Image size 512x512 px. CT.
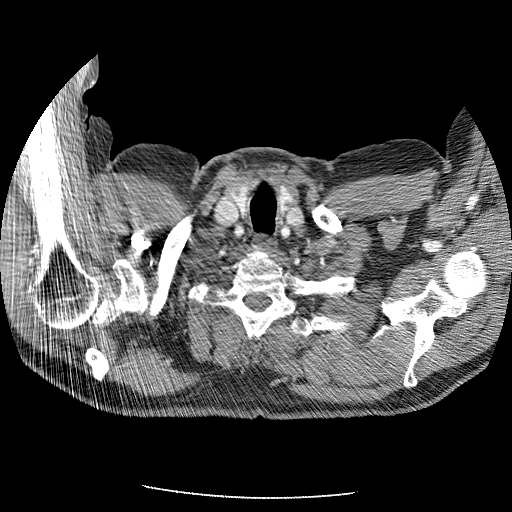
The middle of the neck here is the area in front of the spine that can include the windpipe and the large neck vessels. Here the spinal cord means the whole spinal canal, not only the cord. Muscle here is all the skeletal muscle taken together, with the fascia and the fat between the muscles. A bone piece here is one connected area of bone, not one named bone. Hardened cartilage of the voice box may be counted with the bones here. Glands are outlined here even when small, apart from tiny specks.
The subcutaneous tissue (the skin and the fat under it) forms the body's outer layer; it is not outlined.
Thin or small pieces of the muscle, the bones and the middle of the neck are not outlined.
{"muscle":[{"outer":[[82,67],[79,107],[88,172],[156,173],[187,211],[222,166],[243,160],[299,164],[326,185],[432,166],[440,172],[438,198],[461,175],[478,126],[510,216],[511,281],[498,336],[483,353],[418,383],[414,366],[434,342],[436,321],[462,315],[488,284],[480,255],[460,250],[419,293],[380,302],[389,323],[414,328],[402,377],[404,388],[415,387],[409,398],[316,402],[254,376],[215,376],[183,393],[139,397],[115,385],[93,385],[74,367],[41,357],[16,331],[0,282],[3,213],[23,148],[38,240],[29,300],[57,331],[87,323],[92,333],[126,313],[156,318],[196,215],[186,214],[167,233],[153,292],[130,259],[115,257],[119,292],[101,295],[67,231],[54,105]],"holes":[[[261,180],[284,185],[309,225],[272,259],[305,280],[354,272],[356,289],[341,296],[292,296],[302,316],[351,323],[345,332],[305,337],[285,317],[249,339],[232,310],[187,297],[200,282],[209,299],[229,290],[250,249],[216,230],[214,209],[226,188]],[[319,203],[322,203],[324,204],[324,205],[328,208],[330,208],[338,217],[338,218],[341,222],[341,225],[342,226],[342,230],[341,231],[339,231],[335,234],[331,234],[329,232],[320,228],[314,222],[311,216],[311,214],[310,213],[310,209],[313,206]],[[91,346],[95,346],[98,349],[100,350],[103,350],[105,355],[109,360],[109,369],[104,376],[103,379],[101,381],[98,381],[95,378],[94,378],[93,375],[90,371],[91,370],[91,367],[85,360],[85,353],[86,352],[86,350],[89,347]]]}],"thyroid_glands":[[[238,184],[246,184],[247,185],[245,187],[245,189],[247,193],[247,196],[246,197],[246,215],[244,217],[242,216],[240,212],[240,209],[239,207],[237,206],[236,204],[236,201],[230,189],[228,188],[230,187],[232,187],[233,186],[235,186]],[[279,184],[281,185],[284,185],[287,190],[293,195],[293,198],[295,200],[294,202],[295,203],[293,204],[291,207],[288,206],[285,209],[285,211],[284,212],[284,217],[283,216],[281,217],[279,213],[280,211],[280,195],[279,194],[278,188],[277,187]]],"right_arm":[[[96,56],[98,78],[84,92],[83,99],[90,114],[101,116],[108,122],[113,141],[110,161],[93,191],[93,212],[102,237],[102,278],[95,319],[74,349],[30,369],[23,362],[13,337],[0,282],[0,238],[4,208],[17,162],[38,119],[58,92]]],"bones":[[[53,99],[66,231],[101,296],[120,292],[121,282],[112,268],[115,258],[130,260],[153,293],[168,233],[195,211],[166,301],[156,317],[147,311],[126,312],[108,325],[93,326],[92,332],[87,322],[64,331],[42,320],[30,300],[39,240],[24,146]],{"outer":[[254,249],[274,255],[305,280],[354,272],[356,289],[341,296],[292,296],[302,316],[327,315],[352,326],[343,333],[314,330],[305,337],[288,329],[285,317],[249,339],[232,310],[188,298],[188,290],[200,282],[210,285],[209,299],[226,294],[238,261]],"hole":[[253,293],[255,294],[260,294],[261,293],[265,296],[268,297],[271,300],[271,302],[270,304],[261,311],[256,311],[255,310],[253,310],[251,309],[245,304],[244,302],[244,298],[247,295],[249,294],[252,294]]},[[460,251],[474,252],[483,261],[488,272],[485,290],[468,302],[462,314],[435,321],[433,342],[413,366],[417,384],[406,388],[403,377],[415,328],[409,322],[389,322],[381,302],[389,301],[387,297],[396,300],[419,294],[430,279],[441,275],[446,260]],[[319,203],[322,203],[324,204],[324,205],[328,208],[330,208],[338,217],[338,218],[341,222],[341,225],[342,226],[342,230],[341,231],[339,231],[335,234],[331,234],[329,232],[320,228],[314,222],[311,216],[311,214],[310,213],[310,209],[313,206]],[[91,346],[95,346],[98,349],[100,350],[103,350],[105,355],[109,360],[109,369],[104,376],[103,379],[101,381],[98,381],[95,378],[94,378],[93,375],[90,371],[91,370],[91,367],[85,360],[85,353],[86,352],[86,350],[89,347]]],"left_arm":[[[462,108],[469,114],[475,125],[481,129],[487,141],[505,196],[505,200],[508,205],[508,212],[510,216],[511,281],[508,286],[508,296],[505,304],[505,311],[498,334],[475,326],[440,279],[437,263],[437,248],[442,222],[446,134],[455,116]]],"spinal_cord":[[[253,293],[255,294],[260,294],[261,293],[265,296],[268,297],[271,300],[271,302],[270,304],[261,311],[256,311],[255,310],[253,310],[251,309],[245,304],[244,302],[244,298],[247,295],[249,294],[252,294]]],"torso":[[[394,138],[423,140],[444,155],[436,248],[439,279],[476,328],[498,335],[485,368],[443,399],[393,416],[143,418],[96,409],[31,370],[74,350],[96,319],[103,237],[94,191],[123,148],[137,142],[165,143],[190,150],[204,164],[242,147],[331,159]]],"middle_of_the_neck":[[[261,180],[277,188],[278,213],[281,218],[285,217],[288,207],[296,204],[309,225],[309,232],[294,248],[282,247],[275,255],[256,248],[250,251],[234,238],[230,230],[218,231],[215,228],[213,213],[223,191],[229,189],[244,218],[247,215],[246,187]]]}